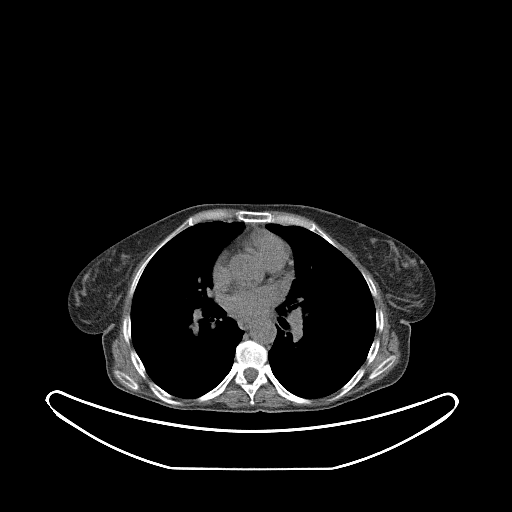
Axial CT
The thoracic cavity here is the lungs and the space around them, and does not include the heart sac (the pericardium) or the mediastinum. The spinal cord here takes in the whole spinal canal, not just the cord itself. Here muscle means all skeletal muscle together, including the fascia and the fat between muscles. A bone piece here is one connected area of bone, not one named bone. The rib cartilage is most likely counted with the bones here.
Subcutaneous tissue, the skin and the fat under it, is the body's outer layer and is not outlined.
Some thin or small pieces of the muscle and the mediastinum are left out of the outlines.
mediastinum 1: 210 290; 217 301; 230 314; 257 315; 262 312; 269 312; 275 308; 277 314; 277 328; 271 347; 267 350; 262 344; 252 339; 246 339; 241 341; 244 331; 238 326; 236 321; 227 315; 227 312; 215 301; 212 295; 210 294
mediastinum 2: 244 223; 266 223; 265 224; 265 227; 266 228; 265 228; 264 227; 262 227; 261 226; 258 226; 257 225; 251 225; 250 226; 247 227; 244 230; 244 231; 243 232; 240 233; 240 232; 243 229; 243 228; 244 227
spinal cord: 247 368; 253 368; 254 369; 255 369; 257 371; 257 374; 256 375; 256 376; 255 377; 255 378; 252 381; 249 381; 248 380; 247 380; 247 379; 245 377; 245 376; 244 375; 244 371; 245 370; 245 369; 246 369
bones 1: 246 340; 252 340; 265 348; 272 373; 288 391; 312 402; 305 405; 291 401; 278 394; 269 382; 256 390; 253 397; 254 404; 251 405; 249 395; 233 381; 223 392; 213 398; 197 401; 196 398; 214 388; 225 377; 235 360; 237 345; inner edge: 247 368; 253 368; 254 369; 255 369; 257 371; 257 374; 256 375; 256 376; 255 377; 255 378; 252 381; 249 381; 248 380; 247 380; 247 379; 245 377; 245 376; 244 375; 244 371; 245 370; 245 369; 246 369
bones 2: 213 210; 225 210; 230 213; 238 210; 267 211; 273 215; 298 217; 315 223; 338 246; 338 249; 317 233; 299 225; 244 222; 234 218; 206 220; 185 228; 153 255; 145 266; 132 297; 130 297; 129 291; 132 281; 154 249; 190 216
bones 3: 361 366; 363 366; 365 370; 364 371; 363 375; 360 378; 360 379; 357 382; 357 383; 353 387; 352 387; 349 390; 348 390; 339 399; 335 400; 334 401; 331 401; 330 399; 332 397; 333 397; 339 391; 339 390; 353 376; 353 375
bones 4: 149 381; 152 381; 154 382; 158 386; 159 386; 166 392; 172 395; 175 399; 180 401; 182 403; 182 404; 181 405; 172 405; 158 398; 150 389; 149 387; 149 385; 148 384
bones 5: 390 355; 394 355; 395 356; 395 358; 394 359; 392 364; 388 368; 387 368; 384 371; 383 371; 378 375; 375 376; 373 378; 369 378; 368 377; 369 376; 369 375; 372 372; 372 371; 380 363; 381 363; 386 358; 387 358
bones 6: 132 349; 134 349; 135 350; 137 355; 139 357; 140 360; 142 362; 145 368; 145 371; 146 372; 146 378; 143 378; 141 376; 141 375; 138 372; 138 371; 136 369; 136 368; 134 366; 132 362; 132 360; 130 356; 130 351
bones 7: 116 370; 121 371; 125 373; 127 375; 128 375; 131 378; 132 378; 137 383; 138 385; 138 389; 136 390; 134 390; 126 386; 122 382; 122 381; 120 380; 117 377; 115 373; 115 371
bones 8: 127 314; 129 314; 130 315; 130 323; 131 324; 131 341; 130 342; 130 343; 129 344; 127 344; 127 343; 126 342; 126 341; 125 340; 125 339; 124 338; 124 334; 123 333; 123 319; 124 318; 124 317
bones 9: 374 338; 378 338; 379 339; 379 346; 378 347; 377 352; 376 353; 376 354; 375 355; 373 360; 369 364; 367 364; 366 363; 366 358; 367 357; 368 352; 370 349; 370 347; 372 344; 372 342; 373 341
bones 10: 361 270; 362 270; 371 278; 371 279; 375 286; 375 288; 376 289; 376 292; 377 293; 377 296; 376 297; 373 297; 372 296; 372 295; 371 294; 371 292; 369 289; 369 287; 368 286; 364 277; 362 275; 362 274; 360 271
bones 11: 376 308; 378 308; 379 309; 380 309; 382 311; 382 312; 383 313; 383 327; 382 328; 382 330; 380 332; 379 332; 377 330; 376 330; 376 312; 375 311; 376 310
muscle 1: 322 229; 351 251; 378 284; 387 308; 390 329; 394 330; 398 337; 399 350; 401 354; 399 362; 384 377; 353 394; 343 397; 358 383; 364 375; 366 369; 362 365; 365 362; 367 365; 369 365; 374 360; 378 352; 380 339; 375 337; 375 334; 376 331; 380 333; 383 330; 384 313; 380 308; 375 307; 373 298; 376 298; 378 293; 372 278; 362 269; 359 270; 339 249; 339 246 with a hole at 390 355; 394 355; 395 356; 395 358; 394 359; 392 364; 388 368; 387 368; 384 371; 383 371; 378 375; 375 376; 373 378; 369 378; 368 377; 369 376; 369 375; 372 372; 372 371; 380 363; 381 363; 386 358; 387 358
muscle 2: 231 382; 244 390; 249 397; 249 404; 251 406; 255 404; 254 397; 257 390; 261 386; 269 383; 278 395; 291 402; 304 405; 229 407; 213 403; 205 405; 191 406; 174 406; 181 406; 182 405; 183 404; 174 397; 195 398; 199 403; 213 399; 223 393
muscle 3: 159 242; 140 265; 131 281; 128 291; 128 296; 131 298; 130 312; 122 319; 123 338; 127 345; 131 342; 133 346; 133 348; 129 351; 131 362; 143 379; 147 378; 147 374; 151 379; 147 384; 156 397; 154 397; 137 391; 139 389; 138 383; 125 372; 118 369; 114 371; 116 377; 124 385; 115 377; 112 370; 114 359; 111 346; 113 340; 118 335; 123 302; 131 276; 136 266; 146 253
muscle 4: 337 391; 338 391; 329 399; 329 400; 331 402; 333 402; 332 402; 329 404; 327 404; 326 405; 322 405; 321 406; 308 406; 309 405; 310 405; 313 402; 312 399; 315 399; 316 398; 321 398; 322 397; 325 397; 326 396; 328 396
muscle 5: 271 210; 276 210; 277 211; 285 211; 286 212; 289 212; 290 213; 297 214; 298 215; 306 217; 313 221; 309 221; 301 217; 299 217; 298 216; 294 216; 293 215; 290 215; 289 214; 273 214; 271 212; 268 211; 270 211
thoracic cavity 1: 235 220; 243 222; 243 227; 222 248; 215 259; 211 271; 213 284; 209 294; 243 333; 235 347; 234 360; 230 369; 214 387; 197 397; 176 397; 152 380; 134 348; 130 314; 132 298; 146 266; 172 238; 198 223
thoracic cavity 2: 267 223; 299 226; 323 238; 357 268; 372 297; 375 308; 375 333; 365 361; 338 390; 328 395; 311 399; 291 392; 275 376; 268 361; 268 351; 273 345; 278 328; 276 308; 286 298; 295 278; 295 269; 290 244; 281 236; 267 229
pericardium: 251 226; 264 228; 281 237; 289 244; 292 252; 294 277; 284 299; 273 309; 269 311; 263 312; 262 311; 257 314; 230 313; 218 301; 212 292; 214 284; 212 277; 213 266; 222 250; 230 242; 233 241; 237 236; 243 233; 247 228
torso: 205 203; 318 207; 384 232; 415 251; 428 266; 436 293; 430 312; 410 324; 410 355; 403 375; 389 386; 329 409; 275 413; 173 409; 113 385; 105 369; 102 335; 81 331; 69 316; 67 296; 73 280; 90 260; 124 237; 178 210